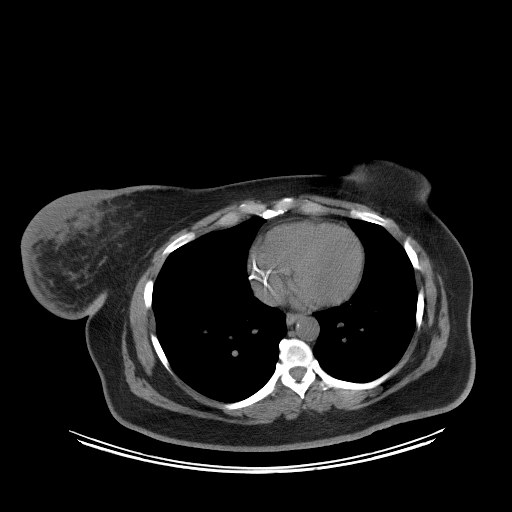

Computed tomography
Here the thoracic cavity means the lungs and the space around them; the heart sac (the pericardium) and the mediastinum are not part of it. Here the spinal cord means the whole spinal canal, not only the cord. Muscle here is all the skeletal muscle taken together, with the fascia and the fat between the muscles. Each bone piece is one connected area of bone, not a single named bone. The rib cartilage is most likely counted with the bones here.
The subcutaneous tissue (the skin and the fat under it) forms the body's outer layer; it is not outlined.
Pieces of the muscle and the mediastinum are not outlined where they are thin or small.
The thoracic cavity appears in 2 outlined pieces: piece 1: [[254,216],[263,218],[264,222],[256,231],[247,252],[246,271],[249,284],[258,300],[283,312],[286,334],[278,342],[278,360],[266,382],[243,399],[221,402],[192,388],[171,368],[156,335],[152,309],[154,281],[166,257],[176,249],[207,232],[231,227]]; piece 2: [[348,217],[385,228],[402,245],[413,268],[417,289],[415,328],[407,347],[397,363],[391,368],[378,377],[364,382],[345,380],[332,376],[322,368],[313,353],[321,328],[313,313],[347,302],[360,285],[363,277],[365,251],[360,239],[350,227],[347,221]]. The spinal cord is outlined by [[294,367],[303,367],[305,369],[305,371],[304,372],[304,374],[302,376],[302,377],[298,381],[297,380],[296,380],[290,374],[290,370],[292,368],[293,368]]. The torso is outlined by [[356,158],[392,159],[423,173],[432,186],[431,209],[467,257],[475,376],[463,401],[447,412],[352,441],[274,452],[177,445],[119,423],[87,349],[87,318],[50,313],[26,284],[20,240],[39,209],[62,195],[98,188],[213,187],[276,175],[340,174]]. The pericardium is outlined by [[292,217],[325,218],[341,221],[349,226],[359,239],[364,251],[363,273],[359,285],[347,301],[331,307],[324,307],[310,310],[296,310],[289,308],[283,309],[268,305],[258,299],[254,294],[247,271],[247,258],[250,247],[256,236],[264,226],[276,220]]. The mediastinum appears in 2 outlined pieces: piece 1: [[280,309],[283,310],[284,309],[289,309],[296,311],[310,311],[311,310],[319,310],[316,310],[315,311],[314,311],[312,313],[313,316],[317,320],[320,328],[319,329],[319,334],[312,349],[310,346],[302,339],[296,337],[290,337],[289,338],[285,337],[287,334],[286,316],[284,312]]; piece 2: [[289,211],[296,211],[303,214],[311,214],[312,215],[338,214],[343,216],[347,216],[346,221],[348,225],[341,220],[333,218],[292,216],[291,217],[284,217],[271,221],[264,225],[256,235],[259,228],[265,222],[265,219],[271,219],[274,217],[282,215]]. The bones appear in 8 outlined pieces: piece 1: [[283,338],[296,338],[305,342],[324,371],[345,381],[369,382],[400,361],[404,362],[386,380],[373,388],[323,390],[314,381],[302,399],[278,381],[273,393],[258,401],[238,409],[222,409],[217,406],[218,403],[243,400],[267,382],[279,360],[279,342]]; inner edge: [[294,367],[303,367],[305,369],[305,371],[304,372],[304,374],[302,376],[302,377],[298,381],[297,380],[296,380],[290,374],[290,370],[292,368],[293,368]]; piece 2: [[288,196],[292,196],[298,201],[307,199],[319,203],[327,208],[324,213],[303,213],[294,209],[271,218],[264,218],[252,214],[244,215],[239,222],[227,227],[218,226],[216,224],[216,221],[221,216],[229,211],[236,210],[243,202],[269,204],[274,200]]; piece 3: [[352,208],[358,209],[359,210],[365,210],[366,211],[373,212],[386,219],[388,221],[389,224],[386,227],[384,227],[379,224],[377,224],[373,222],[370,222],[369,221],[359,219],[358,218],[353,218],[352,217],[350,217],[348,216],[349,214],[349,210]]; piece 4: [[189,231],[193,231],[195,232],[197,236],[194,239],[176,248],[174,250],[170,252],[166,256],[163,256],[162,255],[162,252],[163,250],[173,240],[174,240],[180,235],[186,232],[188,232]]; piece 5: [[151,333],[154,333],[155,334],[162,348],[162,350],[169,363],[170,368],[172,370],[173,372],[173,374],[170,373],[165,368],[165,367],[159,359],[154,349],[154,347],[152,344],[152,342],[150,338],[150,334]]; piece 6: [[406,238],[408,238],[409,239],[409,242],[410,243],[410,244],[416,252],[416,254],[417,255],[417,258],[418,259],[419,264],[421,266],[421,269],[420,270],[418,270],[417,269],[414,269],[414,268],[411,263],[411,261],[403,246],[403,242]]; piece 7: [[421,288],[422,288],[423,289],[423,296],[424,297],[424,307],[423,308],[423,314],[422,315],[422,319],[421,320],[421,324],[420,325],[420,326],[419,327],[419,328],[418,329],[416,327],[416,310],[417,309],[417,296],[418,295],[418,291]]; piece 8: [[148,279],[152,279],[153,280],[153,288],[152,289],[152,295],[151,296],[151,308],[149,308],[148,309],[147,308],[146,308],[146,307],[145,306],[145,303],[144,302],[144,299],[143,298],[143,291],[144,290],[144,287],[145,286],[145,284]]. The muscle is outlined by [[300,194],[364,204],[392,219],[420,244],[431,261],[433,271],[441,277],[448,304],[450,331],[447,345],[437,364],[369,405],[324,413],[303,411],[294,419],[280,417],[270,423],[239,424],[202,418],[163,408],[135,395],[125,379],[121,345],[123,327],[129,320],[130,300],[138,279],[154,252],[174,233],[218,209],[247,198],[266,201],[287,196],[269,203],[243,201],[236,209],[227,211],[215,221],[221,227],[198,236],[193,230],[180,234],[162,250],[161,255],[165,258],[155,279],[148,278],[144,284],[144,306],[152,310],[155,324],[155,333],[151,332],[149,338],[164,368],[198,393],[220,402],[216,404],[218,408],[233,411],[273,394],[278,382],[302,400],[314,382],[323,391],[340,389],[353,392],[373,389],[404,364],[405,361],[400,360],[415,329],[418,330],[422,324],[425,307],[424,289],[421,287],[418,290],[414,271],[420,271],[422,266],[410,239],[406,237],[402,244],[398,241],[386,228],[389,221],[373,211],[352,207],[347,215],[325,213],[328,208],[319,202],[307,198],[296,199],[293,196]].